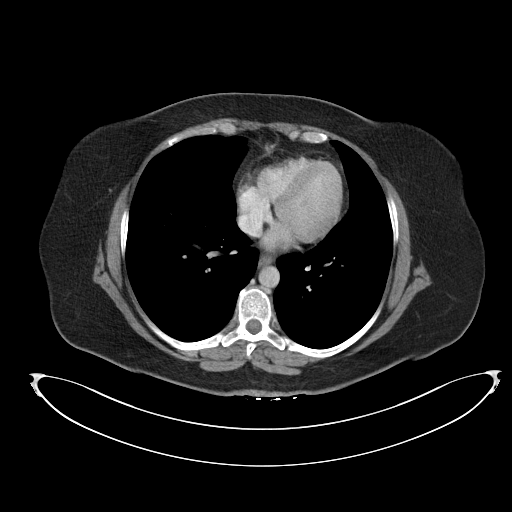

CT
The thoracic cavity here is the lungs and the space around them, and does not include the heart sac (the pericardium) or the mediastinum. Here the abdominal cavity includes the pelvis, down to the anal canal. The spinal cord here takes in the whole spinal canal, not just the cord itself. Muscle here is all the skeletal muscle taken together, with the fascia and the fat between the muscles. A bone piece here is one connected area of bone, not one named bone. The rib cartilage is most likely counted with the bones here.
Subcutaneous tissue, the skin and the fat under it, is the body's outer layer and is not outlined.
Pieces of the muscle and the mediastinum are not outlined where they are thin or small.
{"mediastinum":[[[280,134],[293,141],[295,140],[312,144],[320,144],[329,141],[338,153],[343,170],[336,159],[325,152],[290,152],[280,149],[272,150],[257,156],[245,166],[237,182],[235,196],[232,186],[233,179],[247,152],[248,139],[261,148],[269,149],[278,144]],[[258,249],[268,253],[284,254],[280,255],[275,261],[275,265],[279,272],[280,278],[278,284],[273,291],[272,299],[268,293],[264,291],[261,288],[257,286],[251,286],[250,287],[247,287],[246,286],[254,275],[257,267],[257,264],[259,259],[259,250]]],"spinal_cord":[[[253,319],[254,319],[255,320],[257,320],[260,323],[260,324],[261,325],[261,327],[260,328],[260,329],[257,332],[256,332],[255,333],[252,333],[251,332],[250,332],[247,329],[247,328],[246,327],[246,325],[247,324],[247,323],[250,320],[252,320]]],"bones":[{"outer":[[243,287],[267,293],[282,332],[316,349],[344,341],[366,323],[381,300],[383,305],[358,340],[324,358],[279,349],[266,340],[255,343],[249,358],[248,342],[243,339],[226,347],[219,344],[181,350],[160,338],[141,313],[178,340],[198,341],[230,322]],"hole":[[253,319],[254,319],[255,320],[257,320],[260,323],[260,324],[261,325],[261,327],[260,328],[260,329],[257,332],[256,332],[255,333],[252,333],[251,332],[250,332],[247,329],[247,328],[246,327],[246,325],[247,324],[247,323],[250,320],[252,320]]},[[221,123],[230,123],[232,124],[236,129],[233,134],[227,135],[220,131],[218,131],[214,134],[193,135],[189,137],[186,137],[176,142],[171,146],[164,149],[165,142],[167,139],[190,128],[198,129],[205,126],[212,126],[214,124],[220,124]],[[387,194],[390,194],[393,198],[397,210],[397,220],[398,221],[398,232],[399,234],[398,235],[397,241],[394,245],[393,245],[393,233],[392,232],[391,222],[389,217],[389,212],[388,211],[388,207],[386,201],[386,196]],[[293,131],[298,131],[300,133],[302,133],[305,131],[322,132],[327,135],[328,137],[328,139],[326,141],[324,141],[320,143],[312,143],[311,142],[308,142],[307,141],[304,141],[302,140],[302,139],[299,136],[293,140],[289,137],[290,134]],[[126,208],[128,208],[129,210],[129,217],[128,218],[128,224],[127,225],[127,238],[126,239],[126,243],[125,244],[125,253],[124,255],[123,255],[121,252],[121,245],[120,244],[120,224],[121,223],[121,217],[122,216],[122,213],[123,211]]],"thoracic_cavity":[[[215,134],[240,135],[247,139],[246,152],[234,173],[231,186],[236,205],[236,225],[258,250],[258,259],[253,275],[237,293],[229,322],[207,337],[186,341],[162,330],[144,311],[134,292],[125,257],[130,207],[140,176],[154,156],[186,138]],[[331,140],[337,140],[351,148],[377,180],[385,197],[392,233],[392,253],[380,301],[370,317],[344,340],[328,347],[316,348],[299,343],[283,332],[274,310],[273,294],[281,278],[276,265],[277,259],[316,246],[348,210],[349,188],[341,158]]],"pericardium":[[[277,150],[290,153],[305,152],[325,153],[335,159],[341,167],[346,180],[348,188],[348,207],[345,214],[321,241],[313,247],[304,251],[276,253],[262,250],[258,248],[237,225],[236,221],[237,205],[235,197],[238,182],[243,171],[252,160],[261,155]]],"muscle":[{"outer":[[220,118],[235,118],[236,119],[244,119],[245,120],[257,120],[263,122],[284,121],[285,122],[301,123],[302,124],[307,124],[308,125],[313,125],[317,127],[320,127],[331,131],[349,140],[369,154],[377,163],[379,168],[397,190],[404,204],[408,218],[409,229],[411,235],[419,252],[421,259],[432,281],[432,283],[430,285],[419,291],[413,297],[403,313],[388,332],[366,347],[352,355],[342,357],[338,359],[322,360],[312,364],[308,364],[303,367],[301,371],[296,375],[285,375],[284,374],[278,374],[277,373],[270,373],[261,369],[254,368],[249,362],[247,362],[244,365],[237,369],[234,369],[229,371],[206,371],[202,369],[194,362],[181,360],[165,353],[140,336],[129,325],[122,313],[116,307],[114,302],[109,297],[106,292],[98,284],[95,283],[92,280],[92,274],[96,262],[95,259],[98,248],[98,243],[106,220],[108,217],[109,212],[111,210],[119,192],[129,178],[134,173],[143,158],[157,144],[168,136],[178,131],[180,131],[186,127],[195,125],[199,123],[202,123],[212,119],[219,119]],"hole":[[221,123],[232,124],[236,129],[234,135],[263,128],[288,139],[293,131],[322,132],[328,141],[337,140],[351,148],[369,167],[384,196],[390,194],[393,198],[399,234],[392,246],[380,299],[381,311],[369,329],[340,352],[318,358],[258,340],[248,358],[248,342],[243,339],[226,347],[219,344],[181,350],[160,338],[143,318],[144,310],[121,252],[122,213],[130,209],[140,176],[150,160],[164,149],[167,139],[190,128]]}],"torso":[[[230,91],[324,99],[368,118],[411,123],[433,134],[449,148],[461,165],[466,200],[485,252],[479,304],[459,339],[427,357],[397,364],[339,389],[279,397],[226,396],[190,389],[129,371],[64,340],[51,317],[38,241],[69,151],[102,124],[189,97]]],"abdominal_cavity":[[[263,128],[269,128],[273,131],[275,131],[277,132],[279,134],[279,140],[277,144],[275,146],[273,146],[269,148],[268,147],[261,147],[251,139],[245,136],[243,136],[241,135],[241,133],[246,133],[249,131],[252,131],[256,129],[262,129]]]}